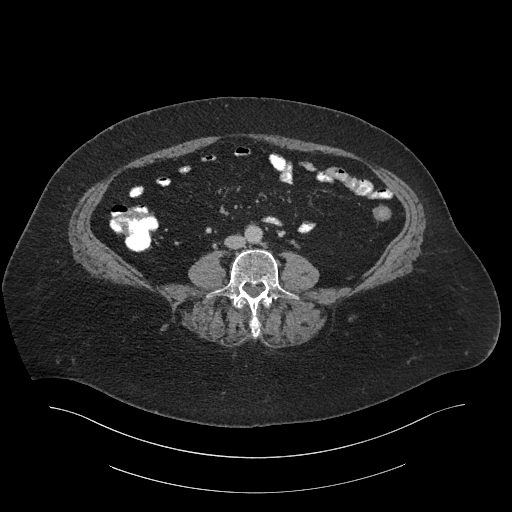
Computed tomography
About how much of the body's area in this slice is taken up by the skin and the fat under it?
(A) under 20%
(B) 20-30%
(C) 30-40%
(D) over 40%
Answer: (D) over 40%
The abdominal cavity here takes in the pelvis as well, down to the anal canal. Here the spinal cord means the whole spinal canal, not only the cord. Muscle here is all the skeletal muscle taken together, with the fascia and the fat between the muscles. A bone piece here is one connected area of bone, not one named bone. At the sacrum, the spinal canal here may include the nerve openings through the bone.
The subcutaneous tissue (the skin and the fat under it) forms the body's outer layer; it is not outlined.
Outlines (x, y in pixels):
muscle: 235,132 278,134 349,151 394,173 408,184 423,206 426,226 423,234 421,253 413,270 401,277 360,291 342,300 337,304 333,326 323,341 296,354 271,349 259,341 252,340 229,348 215,350 201,348 192,342 172,321 171,309 163,297 145,288 114,283 94,277 76,262 72,255 67,233 69,219 79,199 92,185 105,178 118,167 148,153 199,137 with a hole at 239,137 356,160 405,212 401,231 353,286 316,287 319,270 303,255 282,251 279,283 299,298 260,305 256,338 246,304 206,297 229,281 225,250 197,259 187,270 191,283 156,284 90,224 123,171
torso: 216,96 277,97 337,109 380,127 406,145 434,178 456,227 493,282 501,326 490,355 477,366 442,374 354,412 317,421 249,428 162,416 74,380 32,379 10,327 2,280 49,178 76,148 121,119 172,103
abdominal cavity: 239,137 356,160 392,190 403,206 405,223 360,281 316,287 320,272 303,255 282,251 280,273 271,251 251,247 237,252 227,271 221,261 228,253 215,249 188,268 191,283 156,284 93,233 91,216 123,171
spinal cord: 248,283 249,283 252,285 256,285 257,284 261,284 263,287 263,289 256,296 255,296 254,297 253,297 252,296 251,296 250,295 249,295 247,293 247,292 244,289 244,286 246,284 247,284
bones: 251,248 265,249 272,253 280,285 299,297 279,297 273,300 268,308 260,305 256,311 260,322 260,334 256,338 251,334 251,312 246,304 236,308 225,295 206,297 207,293 222,288 229,281 230,265 235,255 with a hole at 248,283 249,283 252,285 256,285 257,284 261,284 263,287 263,289 256,296 255,296 254,297 253,297 252,296 251,296 250,295 249,295 247,293 247,292 244,289 244,286 246,284 247,284